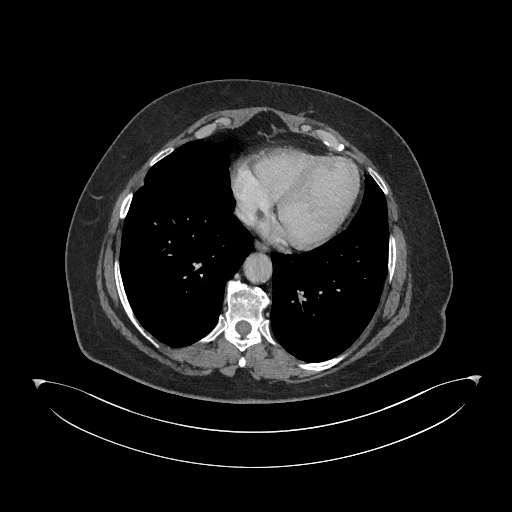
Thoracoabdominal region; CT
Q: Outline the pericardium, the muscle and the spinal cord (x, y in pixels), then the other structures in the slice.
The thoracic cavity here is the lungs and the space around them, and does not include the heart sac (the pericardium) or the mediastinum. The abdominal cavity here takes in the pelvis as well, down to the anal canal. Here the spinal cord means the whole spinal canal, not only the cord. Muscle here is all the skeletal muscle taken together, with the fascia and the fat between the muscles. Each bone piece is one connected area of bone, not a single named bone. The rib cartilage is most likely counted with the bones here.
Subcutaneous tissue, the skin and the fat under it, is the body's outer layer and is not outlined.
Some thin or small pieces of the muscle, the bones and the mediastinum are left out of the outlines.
A: The pericardium is outlined by [[265,136],[287,136],[303,138],[316,142],[346,155],[362,170],[362,193],[353,215],[341,230],[324,243],[311,249],[295,250],[290,253],[284,253],[265,243],[238,216],[236,198],[231,187],[230,168],[234,160],[248,146],[255,143],[257,140],[264,138]]. The muscle is outlined by [[251,106],[269,106],[289,113],[297,115],[304,115],[323,121],[338,130],[347,139],[367,154],[377,165],[392,190],[393,195],[399,206],[399,220],[405,234],[407,243],[407,249],[408,250],[407,262],[409,265],[409,270],[411,273],[412,286],[411,287],[411,300],[409,305],[409,314],[406,319],[385,338],[379,345],[370,350],[362,357],[355,360],[348,365],[346,365],[337,371],[324,375],[321,377],[298,383],[287,383],[281,380],[274,381],[271,379],[266,378],[255,379],[249,373],[248,370],[244,368],[246,365],[246,359],[243,355],[237,361],[237,364],[239,367],[236,370],[235,373],[231,376],[225,375],[221,373],[217,369],[215,369],[211,373],[207,375],[185,375],[180,373],[174,370],[171,367],[154,358],[150,357],[138,349],[135,345],[126,339],[112,325],[111,322],[101,308],[96,287],[96,279],[95,278],[96,268],[98,263],[98,258],[103,238],[107,231],[111,211],[119,192],[124,186],[128,177],[132,172],[138,168],[163,144],[174,137],[184,128],[202,115],[213,110],[243,108]], around a hole outlined by [[261,112],[275,114],[295,133],[304,133],[300,128],[303,124],[332,133],[345,145],[343,152],[353,156],[364,168],[372,166],[388,188],[385,196],[388,231],[396,240],[396,264],[392,279],[389,282],[385,277],[378,305],[359,336],[346,349],[351,350],[347,356],[320,371],[299,367],[298,364],[302,361],[300,359],[279,343],[273,345],[264,338],[243,351],[222,333],[209,342],[196,341],[189,345],[172,347],[158,341],[159,346],[156,347],[131,322],[116,287],[114,261],[119,257],[124,222],[118,216],[121,202],[128,192],[134,192],[142,184],[152,157],[165,147],[177,148],[193,140],[198,128],[216,118],[225,117],[230,120],[226,125],[219,123],[217,130],[235,129]]. The spinal cord is outlined by [[242,320],[243,320],[244,321],[246,321],[248,323],[249,323],[249,324],[250,325],[250,330],[246,334],[245,334],[244,335],[242,335],[239,332],[238,332],[238,331],[236,329],[236,324],[239,321],[241,321]]. The thoracic cavity appears in 2 outlined pieces: piece 1: [[199,139],[206,144],[223,141],[231,143],[228,174],[235,198],[233,214],[252,234],[253,245],[238,269],[225,281],[225,307],[218,315],[215,325],[195,342],[172,347],[155,339],[135,316],[120,269],[121,236],[134,192],[142,184],[148,170],[179,146]]; piece 2: [[367,174],[385,196],[389,232],[387,273],[378,305],[359,336],[345,350],[324,360],[302,361],[275,339],[271,331],[271,321],[266,316],[266,309],[271,304],[272,296],[273,264],[271,256],[274,252],[292,254],[311,250],[324,244],[345,229],[361,204]]. The mediastinum appears in 3 outlined pieces: piece 1: [[262,118],[275,118],[281,121],[290,131],[312,136],[324,145],[303,137],[265,135],[248,145],[233,160],[229,168],[229,174],[229,156],[232,150],[232,143],[229,140],[206,143],[202,139],[211,135],[218,129],[235,129],[250,120]]; piece 2: [[235,206],[237,216],[265,244],[278,251],[274,251],[270,256],[272,264],[271,296],[270,297],[268,296],[261,286],[259,285],[252,286],[245,281],[232,278],[233,275],[241,266],[246,256],[253,249],[254,245],[253,234],[243,225],[240,220],[234,214]]; piece 3: [[342,152],[345,152],[353,156],[353,157],[365,168],[367,172],[364,176],[364,192],[360,204],[356,211],[356,208],[358,207],[358,204],[360,203],[360,199],[362,197],[362,194],[363,193],[364,172],[360,166],[352,158],[349,157],[346,154]]. The torso is outlined by [[224,78],[293,83],[345,96],[381,116],[406,141],[434,202],[453,273],[443,337],[431,354],[371,382],[331,395],[277,403],[227,403],[185,397],[150,387],[94,362],[82,353],[73,328],[64,256],[72,214],[88,178],[121,129],[146,104],[176,88]]. The abdominal cavity is outlined by [[261,112],[271,112],[272,113],[273,113],[274,114],[275,114],[281,120],[280,120],[279,119],[278,119],[277,118],[276,118],[275,117],[262,117],[261,118],[258,118],[257,119],[251,119],[255,115],[256,115],[257,114],[258,114],[259,113],[260,113]]. The bones appear in 9 outlined pieces: piece 1: [[231,278],[245,282],[252,287],[261,287],[270,298],[270,304],[265,309],[265,316],[270,321],[270,331],[278,343],[277,345],[273,345],[263,338],[259,343],[240,351],[222,333],[212,341],[197,342],[216,325],[219,315],[226,307],[224,302],[225,284]], around a hole outlined by [[242,320],[243,320],[244,321],[246,321],[248,323],[249,323],[249,324],[250,325],[250,330],[246,334],[245,334],[244,335],[242,335],[239,332],[238,332],[238,331],[236,329],[236,324],[239,321],[241,321]]; piece 2: [[116,258],[118,258],[119,269],[123,283],[123,287],[129,304],[134,314],[134,316],[145,331],[149,333],[157,341],[159,344],[158,347],[156,347],[153,345],[140,333],[131,322],[122,306],[117,291],[115,277],[114,276],[114,261]]; piece 3: [[303,124],[308,124],[309,125],[311,125],[314,129],[315,128],[320,128],[332,133],[340,142],[342,142],[345,145],[345,149],[342,151],[338,151],[332,147],[326,146],[318,138],[314,136],[314,134],[312,131],[308,131],[304,133],[302,132],[300,127]]; piece 4: [[349,349],[351,350],[347,356],[329,368],[327,368],[320,371],[312,371],[311,370],[303,369],[298,366],[298,364],[300,362],[308,363],[309,362],[320,362],[321,361],[324,361],[325,360],[330,359],[333,357],[335,357],[344,351],[348,350]]; piece 5: [[390,233],[391,233],[395,237],[395,239],[396,240],[396,264],[395,265],[395,268],[394,269],[394,273],[393,274],[392,279],[391,281],[389,282],[387,279],[387,274],[388,273],[388,269],[387,268],[387,263],[388,262],[388,244],[389,243],[389,234]]; piece 6: [[219,117],[225,117],[226,118],[228,118],[230,120],[230,122],[228,124],[224,125],[223,124],[219,123],[216,126],[216,129],[211,134],[202,138],[199,138],[198,139],[195,138],[194,136],[194,132],[198,128],[208,123],[210,123],[216,118],[218,118]]; piece 7: [[369,165],[370,166],[372,166],[380,174],[380,175],[383,178],[388,188],[388,192],[386,195],[384,194],[382,190],[379,187],[379,186],[376,183],[376,182],[373,179],[373,178],[368,173],[366,169],[366,167]]; piece 8: [[130,191],[133,192],[133,195],[131,199],[131,202],[130,203],[130,205],[129,206],[128,211],[124,219],[120,219],[118,216],[119,215],[119,210],[120,209],[120,206],[121,205],[121,202],[122,201],[122,199],[124,197],[124,196],[128,192]]; piece 9: [[168,146],[174,146],[175,147],[175,149],[171,153],[165,156],[163,158],[162,158],[160,160],[156,162],[152,166],[150,167],[148,164],[149,163],[149,161],[152,158],[152,157],[159,150],[165,147],[167,147]].